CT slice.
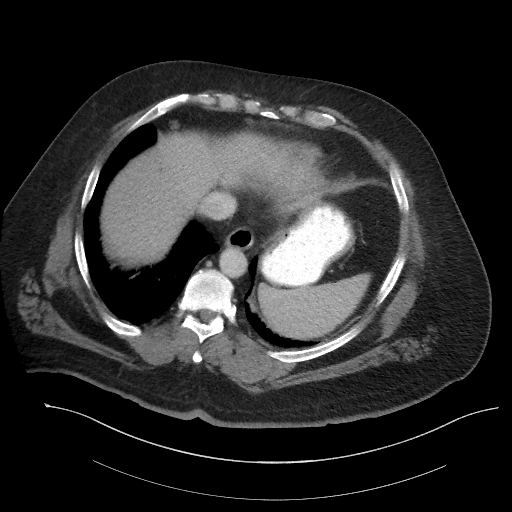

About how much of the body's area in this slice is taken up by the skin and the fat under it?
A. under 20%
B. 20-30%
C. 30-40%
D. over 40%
Answer: C. 30-40%
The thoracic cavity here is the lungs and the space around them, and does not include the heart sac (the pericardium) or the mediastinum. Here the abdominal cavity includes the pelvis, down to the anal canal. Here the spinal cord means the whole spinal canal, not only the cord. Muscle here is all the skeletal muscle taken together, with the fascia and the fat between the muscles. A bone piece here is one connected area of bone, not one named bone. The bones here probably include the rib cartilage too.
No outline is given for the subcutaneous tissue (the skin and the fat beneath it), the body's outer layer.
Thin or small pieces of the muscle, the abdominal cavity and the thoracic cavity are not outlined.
The bones appear in 9 outlined pieces: piece 1: 199 269; 215 269; 223 274; 233 285; 231 301; 237 307; 236 323; 233 324; 225 318; 224 329; 207 337; 201 343; 199 343; 198 336; 191 329; 180 325; 186 313; 184 312; 180 316; 176 316; 177 303; 183 294; 186 283; 190 276 with a hole at 202 309; 208 309; 209 310; 211 310; 213 312; 214 312; 215 313; 215 315; 214 316; 214 317; 213 318; 212 318; 207 323; 202 322; 199 319; 199 318; 198 317; 198 315; 197 314; 197 313; 198 312; 198 311; 199 311; piece 2: 201 92; 231 94; 240 102; 256 100; 262 109; 275 112; 283 105; 324 112; 334 116; 337 122; 332 127; 321 128; 282 114; 273 119; 250 113; 240 104; 235 110; 225 110; 217 104; 189 101; 126 133; 161 100; 181 93; 194 96; piece 3: 360 322; 364 322; 365 325; 357 335; 334 350; 311 359; 303 361; 298 361; 297 362; 284 362; 271 357; 266 353; 267 350; 270 349; 271 350; 301 350; 302 349; 310 348; 323 343; 326 343; 336 338; 341 334; 343 334; 355 324; piece 4: 402 253; 403 253; 405 256; 405 262; 403 265; 403 267; 400 272; 400 274; 394 286; 386 296; 386 297; 382 301; 382 302; 379 305; 377 306; 375 306; 375 299; 374 298; 382 282; 384 280; 388 271; 390 269; 395 258; piece 5: 392 163; 393 163; 398 168; 400 172; 400 176; 402 180; 402 184; 405 190; 405 193; 408 201; 408 206; 409 207; 408 208; 408 211; 406 213; 402 213; 398 208; 398 204; 390 180; 390 177; 389 176; 389 168; 390 165; piece 6: 76 232; 80 233; 83 239; 83 247; 84 248; 85 259; 87 263; 88 272; 90 277; 90 283; 91 284; 91 287; 90 289; 87 287; 81 275; 81 273; 79 270; 79 268; 77 264; 77 261; 76 260; 75 250; 74 249; 74 236; piece 7: 102 313; 108 313; 115 318; 120 320; 122 322; 128 323; 129 324; 135 325; 136 326; 140 327; 141 329; 141 334; 137 336; 132 336; 131 335; 126 335; 125 334; 119 334; 113 331; 110 328; 109 328; 104 322; 102 318; piece 8: 95 164; 100 164; 101 165; 101 168; 100 169; 99 175; 98 176; 97 181; 95 184; 95 186; 94 187; 91 198; 87 203; 84 210; 82 210; 81 209; 81 199; 82 198; 82 195; 84 191; 84 188; 85 187; 88 176; 92 168; piece 9: 196 350; 198 350; 200 352; 200 354; 201 355; 201 357; 202 358; 202 359; 201 360; 201 361; 200 362; 194 362; 193 361; 193 360; 192 359; 192 356; 193 355; 193 354; 194 353; 194 352. The torso is outlined by 172 59; 211 61; 349 85; 383 98; 419 127; 440 162; 491 289; 487 344; 464 378; 419 403; 375 418; 321 427; 259 429; 218 427; 198 417; 182 420; 72 375; 26 371; 4 303; 0 269; 4 209; 47 146; 93 92; 126 71. The muscle is outlined by 207 89; 247 92; 271 102; 328 106; 392 152; 413 187; 425 249; 420 292; 402 326; 408 334; 419 334; 435 325; 438 334; 431 353; 415 361; 385 362; 337 377; 254 394; 202 365; 191 366; 188 371; 166 365; 133 370; 89 349; 34 333; 25 325; 17 309; 21 279; 29 268; 42 274; 57 219; 87 162; 102 146; 112 126; 159 101; 126 129; 127 134; 102 166; 93 165; 80 199; 83 238; 80 232; 74 233; 74 255; 86 287; 91 289; 91 281; 110 313; 101 313; 105 325; 119 335; 137 337; 142 334; 142 324; 176 310; 176 317; 185 313; 179 325; 191 330; 201 344; 225 329; 225 319; 235 325; 237 315; 262 340; 278 349; 270 348; 265 353; 284 363; 320 357; 362 331; 364 321; 350 326; 372 300; 375 307; 383 302; 406 262; 403 252; 396 256; 401 216; 410 207; 399 168; 392 162; 388 175; 359 139; 333 127; 338 120; 328 112; 284 104; 277 111; 264 109; 256 99; 240 101; 231 93; 211 94; 202 91; inner edge: 196 350; 198 350; 200 352; 200 354; 201 355; 201 357; 202 358; 202 359; 201 360; 201 361; 200 362; 194 362; 193 361; 193 360; 192 359; 192 356; 193 355; 193 354; 194 353; 194 352. The abdominal cavity appears in 2 outlined pieces: piece 1: 355 175; 374 178; 393 190; 401 213; 395 257; 373 299; 343 333; 323 341; 300 341; 281 337; 264 325; 246 300; 256 271; 257 257; 254 256; 278 229; 278 218; 268 207; 279 208; 309 194; 347 183; piece 2: 191 128; 205 129; 219 136; 247 130; 257 131; 266 147; 266 154; 258 160; 246 162; 241 172; 260 203; 240 205; 231 215; 217 221; 192 215; 161 262; 134 272; 113 269; 105 257; 98 224; 108 185; 128 160; 156 141; 158 130. The pericardium is outlined by 260 120; 285 123; 322 133; 331 139; 339 147; 354 173; 353 178; 347 182; 342 182; 338 185; 309 193; 279 207; 272 208; 271 206; 263 205; 253 194; 242 172; 242 167; 246 163; 258 161; 267 154; 267 147; 258 134; 257 122. The mediastinum appears in 2 outlined pieces: piece 1: 250 204; 267 207; 277 218; 277 229; 251 259; 249 287; 242 305; 238 305; 232 299; 233 283; 219 270; 199 268; 192 273; 198 262; 216 252; 219 246; 204 226; 196 220; 191 221; 191 217; 205 217; 217 222; 231 216; 240 206; piece 2: 184 104; 217 111; 243 111; 273 120; 288 119; 314 128; 343 131; 365 146; 386 172; 391 186; 374 177; 357 176; 340 147; 331 138; 307 127; 260 119; 256 122; 257 130; 241 130; 228 135; 195 127; 157 130; 152 122; 154 120. The thoracic cavity appears in 2 outlined pieces: piece 1: 151 122; 157 131; 155 141; 125 162; 110 180; 101 200; 97 224; 105 259; 113 270; 121 272; 153 267; 166 259; 192 221; 203 226; 218 248; 194 266; 176 309; 139 326; 112 315; 91 280; 84 247; 84 213; 113 150; 129 133; piece 2: 249 288; 249 295; 245 299; 249 306; 249 309; 272 333; 284 339; 300 342; 323 342; 331 338; 334 338; 326 342; 301 349; 279 349; 265 341; 250 327; 243 318; 238 316; 237 314; 238 310; 237 305; 238 306; 243 305; 245 294. The spinal cord is outlined by 202 309; 208 309; 209 310; 211 310; 213 312; 214 312; 215 313; 215 315; 214 316; 214 317; 213 318; 212 318; 207 323; 202 322; 199 319; 199 318; 198 317; 198 315; 197 314; 197 313; 198 312; 198 311; 199 311.